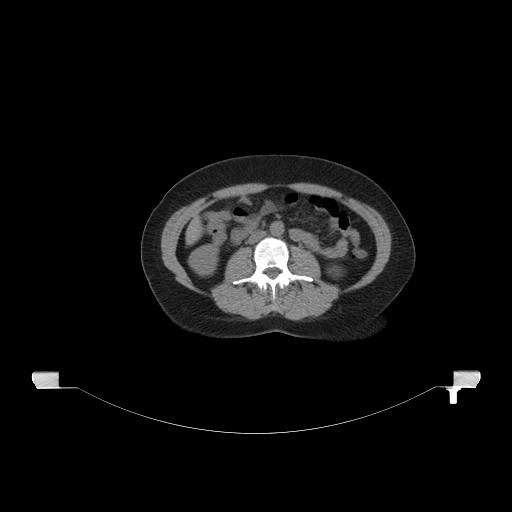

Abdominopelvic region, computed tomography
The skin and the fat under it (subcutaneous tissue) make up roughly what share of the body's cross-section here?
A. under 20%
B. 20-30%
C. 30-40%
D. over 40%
Answer: D. over 40%
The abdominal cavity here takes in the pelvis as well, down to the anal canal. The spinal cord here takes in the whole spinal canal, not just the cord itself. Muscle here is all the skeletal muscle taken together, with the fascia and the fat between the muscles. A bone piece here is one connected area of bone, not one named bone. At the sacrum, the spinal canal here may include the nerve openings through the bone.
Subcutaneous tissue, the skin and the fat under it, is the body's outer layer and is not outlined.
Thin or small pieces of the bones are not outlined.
{"abdominal_cavity":[[[278,187],[333,197],[359,215],[375,241],[375,257],[367,271],[340,287],[321,278],[320,264],[309,250],[300,245],[288,247],[283,239],[268,235],[253,250],[250,246],[237,249],[228,258],[220,283],[208,290],[196,285],[176,253],[188,220],[216,201]]],"bones":[{"outer":[[268,236],[281,239],[286,243],[289,251],[287,266],[293,274],[305,275],[313,279],[312,281],[296,279],[282,288],[278,286],[276,288],[274,301],[269,287],[264,290],[249,281],[237,284],[233,283],[234,280],[249,277],[254,272],[254,247],[260,240]],"hole":[[268,268],[277,268],[280,271],[280,272],[274,278],[271,278],[270,277],[269,277],[264,272],[264,271],[266,269],[267,269]]}],"spinal_cord":[[[268,268],[277,268],[280,271],[280,272],[274,278],[271,278],[270,277],[269,277],[264,272],[264,271],[266,269],[267,269]]],"muscle":[{"outer":[[248,182],[317,183],[336,189],[350,197],[370,205],[381,214],[387,223],[391,233],[391,251],[389,259],[383,270],[373,281],[365,286],[341,295],[333,302],[332,306],[320,316],[312,316],[299,321],[294,321],[287,319],[279,314],[269,314],[263,318],[249,320],[244,316],[232,314],[229,312],[222,312],[211,298],[201,295],[179,283],[174,278],[174,274],[163,264],[160,247],[161,233],[166,221],[180,207],[217,189]],"hole":[[278,187],[333,197],[359,215],[375,241],[367,271],[340,287],[321,278],[309,250],[290,244],[288,269],[313,280],[278,286],[274,301],[269,287],[233,283],[255,270],[253,249],[242,246],[220,283],[208,290],[196,285],[176,253],[188,220],[216,201]]}],"torso":[[[261,153],[310,155],[347,165],[373,179],[393,200],[411,232],[415,266],[410,280],[389,307],[396,316],[385,331],[365,340],[348,343],[330,343],[281,332],[213,339],[181,333],[162,318],[140,261],[140,239],[149,214],[164,193],[193,170],[221,159]]]}